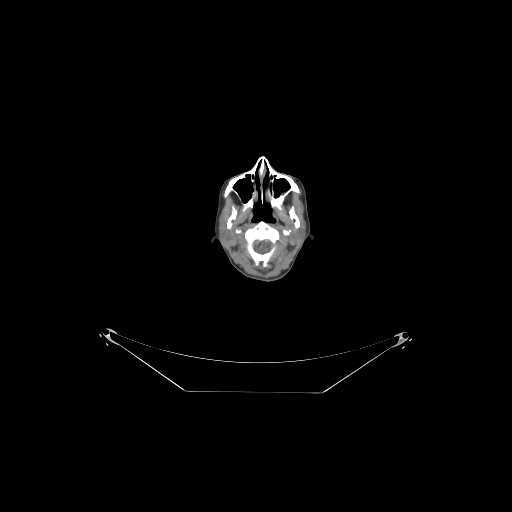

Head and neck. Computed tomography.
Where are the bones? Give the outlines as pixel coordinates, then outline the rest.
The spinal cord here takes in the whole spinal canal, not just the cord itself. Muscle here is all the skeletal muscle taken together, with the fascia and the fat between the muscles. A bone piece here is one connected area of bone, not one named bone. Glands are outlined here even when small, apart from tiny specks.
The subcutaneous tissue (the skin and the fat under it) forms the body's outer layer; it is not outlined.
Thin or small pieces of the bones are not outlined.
{"bones":[{"outer":[[261,156],[264,156],[268,160],[271,167],[276,171],[290,176],[297,184],[300,193],[293,191],[290,192],[284,198],[281,209],[275,207],[271,209],[270,205],[265,202],[264,193],[262,194],[263,203],[261,203],[259,175],[256,173],[254,179],[255,188],[257,191],[257,200],[253,206],[253,209],[247,208],[243,210],[242,202],[234,193],[231,192],[226,197],[223,197],[223,194],[229,180],[235,176],[250,170],[257,159]],"holes":[[[247,176],[249,176],[250,178],[249,179],[250,180],[250,183],[251,184],[251,193],[250,194],[250,196],[249,198],[246,201],[244,201],[244,200],[242,199],[242,197],[240,195],[239,192],[236,189],[235,187],[235,185],[239,180],[241,179],[244,179]],[[276,179],[277,180],[278,179],[284,179],[285,180],[286,180],[289,183],[289,187],[287,189],[286,189],[285,190],[284,190],[282,192],[281,192],[279,194],[279,195],[278,196],[277,196],[276,197],[275,197],[274,196],[274,183],[275,182],[275,180]],[[267,171],[268,172],[268,178],[267,179],[267,184],[266,185],[266,187],[264,189],[264,192],[264,178],[265,177],[265,176],[266,175],[266,174],[267,173]]]},{"outer":[[261,220],[268,222],[280,232],[283,229],[291,230],[288,235],[284,235],[281,232],[280,233],[280,237],[276,242],[276,249],[269,258],[265,267],[263,267],[260,263],[258,265],[255,264],[246,249],[246,241],[244,237],[245,230],[252,227],[256,222]],"hole":[[265,240],[267,240],[268,241],[269,241],[270,242],[270,243],[271,244],[271,246],[270,247],[270,248],[266,252],[264,252],[263,253],[260,253],[259,252],[258,252],[257,251],[256,251],[255,250],[255,249],[254,248],[254,242],[255,241],[264,241]]},[[232,205],[233,205],[235,207],[235,208],[237,211],[237,214],[236,215],[236,217],[232,221],[232,227],[230,229],[228,229],[227,228],[227,226],[226,225],[226,223],[227,222],[227,219],[229,217],[229,216],[231,214],[231,208],[232,207]],[[292,205],[293,205],[293,206],[294,207],[294,211],[295,212],[295,213],[297,215],[297,216],[298,217],[298,218],[299,219],[299,227],[298,228],[295,228],[294,227],[294,220],[293,219],[291,219],[289,217],[289,209],[291,207],[291,206]]],"muscle":[{"outer":[[292,192],[300,194],[305,231],[301,228],[296,233],[301,241],[288,267],[279,274],[266,278],[247,273],[233,260],[223,241],[229,235],[225,227],[220,227],[224,198],[232,193],[241,202],[243,211],[253,210],[252,219],[255,222],[243,232],[245,249],[256,266],[260,264],[265,268],[277,249],[281,233],[288,236],[292,231],[290,228],[283,228],[280,231],[273,226],[269,222],[274,221],[271,210],[281,210],[285,198]],"holes":[[[232,205],[233,205],[235,207],[235,208],[237,211],[237,214],[236,215],[236,217],[232,221],[232,227],[230,229],[228,229],[227,228],[227,226],[226,225],[226,223],[227,222],[227,219],[229,217],[229,216],[231,214],[231,208],[232,207]],[[292,205],[293,205],[293,206],[294,207],[294,211],[295,212],[295,213],[297,215],[297,216],[298,217],[298,218],[299,219],[299,227],[298,228],[295,228],[294,227],[294,220],[293,219],[291,219],[289,217],[289,209],[291,207],[291,206]]]}],"spinal_cord":[[[265,240],[267,240],[268,241],[269,241],[270,242],[270,243],[271,244],[271,246],[270,247],[270,248],[266,252],[264,252],[263,253],[260,253],[259,252],[258,252],[257,251],[256,251],[255,250],[255,249],[254,248],[254,242],[255,241],[264,241]]],"head_and_neck":[{"outer":[[261,156],[264,156],[276,171],[296,176],[303,183],[310,231],[314,236],[313,240],[308,237],[305,240],[290,271],[281,279],[271,283],[263,283],[242,275],[230,264],[219,241],[216,239],[210,242],[214,234],[214,220],[221,184],[230,177],[250,170]],"holes":[[[256,174],[258,175],[259,182],[260,203],[261,204],[264,203],[263,197],[263,194],[264,194],[264,202],[269,205],[270,213],[273,218],[273,221],[265,221],[262,219],[258,221],[254,221],[253,219],[254,206],[258,200],[258,191],[256,188],[255,179]],[[247,176],[249,176],[250,178],[249,179],[250,180],[250,183],[251,184],[251,193],[250,194],[250,196],[249,198],[246,201],[244,201],[244,200],[242,199],[242,197],[240,195],[239,192],[236,189],[235,187],[235,185],[239,180],[241,179],[244,179]],[[276,179],[277,180],[278,179],[284,179],[285,180],[286,180],[289,183],[289,187],[287,189],[286,189],[285,190],[284,190],[282,192],[281,192],[279,194],[279,195],[278,196],[277,196],[276,197],[275,197],[274,196],[274,183],[275,182],[275,180]],[[267,171],[268,172],[268,178],[267,179],[267,184],[266,185],[266,187],[264,189],[264,192],[264,178],[265,177],[265,176],[266,175],[266,174],[267,173]]]}],"parotid_glands":[[[222,227],[223,227],[224,228],[225,228],[225,229],[227,231],[227,232],[228,233],[228,235],[227,236],[227,237],[226,238],[225,238],[224,239],[222,239],[221,238],[221,237],[220,236],[220,233],[219,232],[219,230],[220,229],[220,228],[221,228]],[[301,229],[302,229],[303,230],[304,230],[304,231],[305,232],[305,236],[304,237],[304,238],[303,238],[302,239],[300,239],[299,238],[298,238],[298,237],[297,236],[297,233],[298,232],[298,231],[299,230],[300,230]]]}